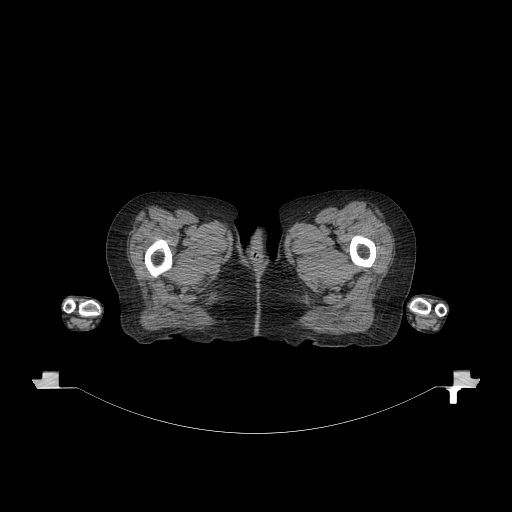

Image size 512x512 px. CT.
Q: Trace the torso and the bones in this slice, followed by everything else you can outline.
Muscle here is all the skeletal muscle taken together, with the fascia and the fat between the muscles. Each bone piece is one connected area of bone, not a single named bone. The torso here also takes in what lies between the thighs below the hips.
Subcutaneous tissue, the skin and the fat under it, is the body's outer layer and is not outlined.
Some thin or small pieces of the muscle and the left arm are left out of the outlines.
A: {"torso":[[[258,222],[262,222],[264,223],[266,226],[267,229],[267,243],[268,244],[269,254],[271,256],[265,265],[263,266],[260,272],[260,274],[257,278],[256,270],[249,256],[249,250],[247,246],[247,241],[249,239],[249,236],[251,230],[254,228]]],"bones":[[[159,238],[161,238],[162,239],[165,239],[167,241],[167,243],[170,248],[170,250],[172,254],[172,265],[168,270],[163,272],[157,277],[153,277],[150,274],[145,265],[145,263],[144,262],[144,255],[145,254],[145,251],[146,249],[154,241],[155,241]],[[354,235],[362,235],[365,237],[367,237],[371,239],[374,242],[376,246],[376,253],[375,254],[375,259],[372,265],[370,267],[364,267],[363,266],[358,266],[356,265],[351,260],[351,258],[349,254],[349,244],[350,243],[350,241],[352,237]],[[69,297],[72,297],[77,304],[81,302],[83,302],[85,300],[92,299],[96,301],[100,305],[101,307],[101,313],[97,316],[82,316],[79,314],[78,309],[76,307],[73,311],[70,313],[67,313],[64,311],[62,307],[63,306],[63,303],[64,301]],[[416,297],[422,297],[424,298],[433,307],[440,302],[443,303],[447,308],[447,313],[445,315],[440,317],[437,315],[435,312],[435,310],[433,308],[426,315],[423,315],[419,313],[415,313],[410,311],[408,308],[408,304],[410,301]]],"left_leg":[[[347,188],[366,188],[387,195],[404,211],[412,224],[416,238],[415,269],[397,334],[387,344],[371,347],[354,344],[346,347],[320,347],[310,341],[293,347],[284,341],[254,337],[259,316],[257,279],[264,266],[276,254],[280,236],[278,209],[301,196]]],"right_arm":[[[70,294],[81,294],[82,295],[88,295],[89,296],[91,296],[98,299],[103,303],[104,305],[104,313],[103,314],[103,317],[97,327],[88,331],[72,331],[68,329],[64,325],[61,319],[61,304],[62,303],[63,299],[67,295],[69,295]]],"right_leg":[[[157,190],[212,196],[232,204],[238,210],[236,225],[240,240],[242,243],[246,242],[248,256],[258,283],[258,316],[253,338],[200,343],[175,337],[141,344],[122,331],[119,322],[118,294],[106,264],[106,237],[113,218],[126,202],[144,192]]],"muscle":[{"outer":[[353,200],[363,200],[371,203],[382,213],[394,237],[394,260],[373,300],[374,320],[372,325],[365,332],[344,334],[318,333],[294,324],[307,308],[304,302],[304,292],[300,281],[285,255],[285,236],[288,229],[294,223],[301,222],[308,215],[326,207]],"hole":[[354,235],[362,235],[365,237],[367,237],[371,239],[374,242],[376,246],[376,253],[375,254],[375,259],[372,265],[370,267],[364,267],[363,266],[358,266],[356,265],[351,260],[351,258],[349,254],[349,244],[350,243],[350,241],[352,237]]},{"outer":[[150,205],[168,205],[186,209],[223,222],[230,229],[233,237],[232,251],[216,281],[216,291],[211,305],[211,314],[219,321],[217,324],[203,329],[146,330],[139,323],[137,316],[142,309],[142,298],[133,269],[127,259],[126,248],[128,234],[136,215]],"hole":[[159,238],[161,238],[162,239],[165,239],[167,241],[167,243],[170,248],[170,250],[172,254],[172,265],[168,270],[163,272],[157,277],[153,277],[150,274],[145,265],[145,263],[144,262],[144,255],[145,254],[145,251],[146,249],[154,241],[155,241]]},[[432,309],[434,310],[434,312],[436,314],[436,315],[440,318],[439,320],[439,324],[434,328],[429,328],[428,329],[419,327],[417,325],[414,318],[414,315],[412,313],[414,313],[415,314],[419,314],[423,316],[426,316],[430,313]],[[76,308],[77,309],[78,314],[82,317],[95,317],[94,317],[92,319],[92,321],[91,323],[87,327],[80,328],[77,326],[74,326],[73,325],[71,325],[71,324],[68,321],[69,320],[69,318],[67,314],[70,314],[72,312],[73,312]],[[425,298],[431,298],[432,299],[435,299],[436,300],[439,300],[440,301],[439,302],[438,302],[437,303],[436,303],[433,306],[431,304],[431,303],[428,300],[427,300]]],"left_arm":[[[418,293],[428,293],[429,294],[433,294],[434,295],[440,296],[445,299],[449,305],[449,309],[447,313],[447,319],[443,327],[436,333],[433,334],[427,334],[426,333],[420,332],[412,327],[407,321],[407,318],[404,309],[405,301],[406,302],[411,296]]]}